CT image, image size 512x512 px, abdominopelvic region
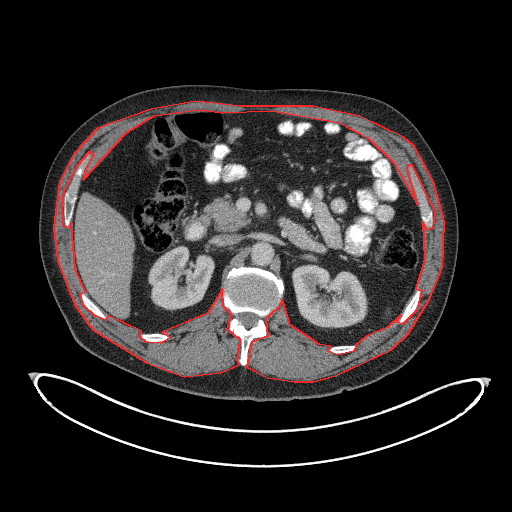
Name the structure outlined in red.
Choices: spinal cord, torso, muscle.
red: muscle.
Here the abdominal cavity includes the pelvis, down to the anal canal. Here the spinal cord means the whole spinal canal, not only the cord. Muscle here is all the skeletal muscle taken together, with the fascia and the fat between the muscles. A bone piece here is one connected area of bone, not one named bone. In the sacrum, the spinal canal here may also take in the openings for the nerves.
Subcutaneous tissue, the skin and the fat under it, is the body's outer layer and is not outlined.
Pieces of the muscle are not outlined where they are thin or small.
Outlined structures:
muscle: 294 381; 313 381; 335 375; 391 349; 408 333; 429 299; 442 267; 444 221; 433 181; 414 146; 403 137; 359 116; 312 106; 240 106; 195 101; 151 109; 97 128; 73 154; 59 181; 53 227; 57 261; 74 304; 92 329; 146 362; 184 376; 220 372; 239 364; 237 359; 240 340; 227 329; 231 314; 223 306; 222 289; 207 313; 162 332; 171 337; 160 343; 146 342; 139 336; 141 331; 107 315; 105 320; 95 316; 83 305; 80 293; 85 291; 75 269; 71 223; 68 228; 63 225; 62 203; 64 192; 77 165; 89 151; 93 154; 84 170; 83 179; 126 132; 154 115; 198 109; 222 112; 271 110; 339 122; 367 137; 393 162; 417 204; 407 169; 408 164; 411 164; 434 212; 432 228; 427 230; 422 222; 424 259; 415 288; 421 290; 416 310; 402 324; 397 322; 400 315; 387 327; 366 336; 356 344; 353 351; 337 355; 328 351; 330 346; 319 344; 290 325; 282 299; 277 308; 265 318; 267 336; 251 342; 246 366; 267 377
torso: 255 401; 317 398; 362 387; 399 369; 427 342; 443 313; 457 259; 458 215; 448 178; 413 123; 393 106; 370 96; 316 88; 254 89; 214 84; 163 86; 125 96; 76 128; 47 172; 38 240; 53 297; 75 341; 100 359; 182 392
abdominal cavity: 331 346; 357 343; 391 323; 421 271; 418 207; 392 162; 367 138; 339 123; 271 111; 168 112; 126 133; 82 180; 71 222; 74 259; 86 293; 105 313; 142 331; 161 332; 207 312; 231 267; 257 266; 283 279; 282 298; 291 325
spinal cord: 247 328; 249 328; 250 327; 255 325; 256 324; 256 323; 257 322; 259 317; 256 314; 254 314; 251 312; 242 312; 241 313; 238 313; 236 315; 237 318; 241 322; 241 323; 243 325; 244 325; 245 326; 245 327; 246 327
bones 1: 241 365; 246 365; 248 361; 247 351; 250 342; 256 337; 262 338; 266 336; 267 328; 264 318; 276 308; 284 291; 284 284; 281 278; 267 270; 250 266; 231 268; 223 286; 223 303; 232 314; 228 329; 241 340; 241 352; 238 359; inner edge: 247 328; 249 328; 250 327; 255 325; 256 324; 256 323; 257 322; 259 317; 256 314; 254 314; 251 312; 242 312; 241 313; 238 313; 236 315; 237 318; 241 322; 241 323; 243 325; 244 325; 245 326; 245 327; 246 327
bones 2: 65 227; 68 227; 70 225; 70 222; 73 213; 73 208; 77 197; 77 190; 79 187; 83 170; 91 157; 92 154; 90 152; 82 159; 78 165; 72 178; 72 180; 65 192; 64 195; 64 202; 63 203; 63 214; 64 215; 64 225
bones 3: 427 229; 433 226; 433 212; 427 201; 425 193; 417 179; 415 172; 413 168; 410 164; 409 164; 408 169; 410 173; 412 183; 414 186; 414 188; 416 192; 416 195; 418 197; 418 204; 419 205; 419 209; 420 210; 420 216; 425 227
bones 4: 399 323; 402 323; 406 319; 407 319; 415 310; 417 306; 417 304; 419 301; 419 298; 420 297; 420 290; 419 289; 417 289; 414 292; 414 293; 410 298; 409 301; 407 303; 406 306; 404 308; 401 314; 401 316; 398 320; 398 322
bones 5: 104 319; 105 319; 106 318; 106 315; 87 296; 87 295; 85 293; 81 293; 81 298; 82 299; 82 301; 83 302; 83 303; 84 304; 84 305; 93 314; 94 314; 95 315; 97 315; 98 316; 99 316; 100 317; 101 317
bones 6: 151 342; 160 342; 161 341; 164 341; 167 339; 169 339; 169 338; 170 337; 168 335; 166 335; 165 334; 163 334; 162 333; 147 333; 146 332; 143 332; 142 333; 141 333; 141 334; 140 335; 141 338; 146 341; 150 341
bones 7: 337 354; 340 354; 341 353; 345 353; 346 352; 349 352; 350 351; 353 350; 356 347; 356 345; 355 344; 352 344; 351 345; 339 345; 338 346; 332 346; 331 347; 330 347; 330 348; 329 349; 329 351; 331 353; 336 353